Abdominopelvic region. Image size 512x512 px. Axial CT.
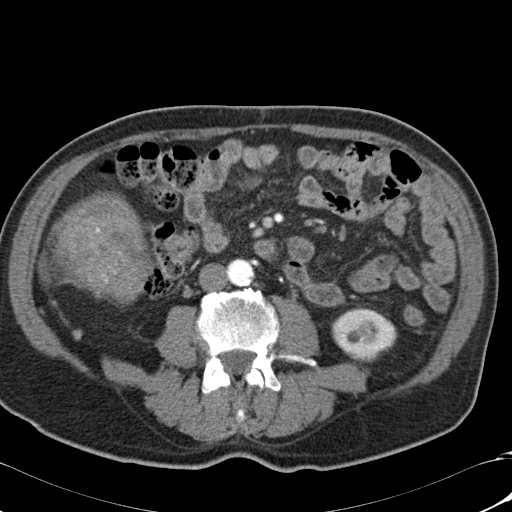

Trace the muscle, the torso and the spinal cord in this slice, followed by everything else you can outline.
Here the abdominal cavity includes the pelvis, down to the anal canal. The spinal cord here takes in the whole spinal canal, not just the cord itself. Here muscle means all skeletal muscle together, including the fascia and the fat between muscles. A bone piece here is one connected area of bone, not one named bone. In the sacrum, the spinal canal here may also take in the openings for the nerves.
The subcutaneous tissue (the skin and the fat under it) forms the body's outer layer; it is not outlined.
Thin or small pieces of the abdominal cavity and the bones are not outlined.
{"muscle":[{"outer":[[259,123],[299,123],[378,132],[406,143],[437,164],[458,183],[473,210],[483,240],[486,283],[482,305],[469,337],[456,357],[452,360],[449,367],[430,383],[415,387],[411,393],[400,397],[368,401],[361,409],[352,409],[343,412],[335,417],[326,419],[318,425],[305,428],[286,436],[262,436],[253,440],[235,434],[220,440],[217,443],[208,443],[196,440],[174,427],[169,427],[158,422],[154,416],[144,408],[141,398],[135,393],[130,392],[119,394],[110,387],[88,378],[66,361],[59,358],[49,357],[37,351],[30,344],[16,322],[13,313],[8,290],[8,262],[12,240],[20,218],[37,187],[54,169],[73,157],[116,139],[151,130],[205,128],[216,126],[237,127]],"holes":[[[270,128],[393,144],[427,168],[460,278],[426,364],[369,391],[371,368],[353,360],[277,358],[278,391],[232,379],[203,393],[207,346],[200,310],[187,304],[168,310],[153,371],[106,353],[92,368],[70,351],[32,292],[42,233],[70,180],[124,144]],[[239,408],[241,408],[243,410],[243,411],[244,412],[244,415],[245,416],[245,418],[243,420],[242,420],[241,421],[238,421],[236,419],[236,412],[237,411],[237,410]]]},[[270,295],[277,295],[283,298],[294,300],[301,304],[307,310],[317,330],[319,342],[318,355],[314,357],[309,356],[307,357],[297,353],[286,352],[276,353],[273,350],[273,347],[278,339],[280,332],[280,321],[275,306],[272,302],[272,299],[269,297]]],"torso":[[[194,104],[326,105],[374,110],[421,130],[461,164],[474,182],[493,227],[499,284],[477,398],[457,427],[405,451],[326,471],[280,472],[244,457],[201,469],[172,469],[87,453],[40,433],[0,405],[0,230],[18,192],[50,155],[75,137],[134,112]]],"spinal_cord":[[[232,350],[242,350],[243,351],[250,351],[251,352],[254,352],[256,355],[251,361],[250,364],[245,368],[243,373],[239,375],[232,375],[228,372],[227,372],[224,369],[224,365],[222,363],[222,361],[219,357],[219,355],[221,353],[223,352],[228,352]]],"abdominal_cavity":[[[270,128],[393,144],[427,168],[460,278],[426,364],[369,391],[369,366],[314,358],[318,330],[301,303],[250,287],[209,291],[199,309],[173,305],[153,341],[153,371],[106,353],[92,368],[70,351],[32,292],[42,233],[70,180],[124,144]]],"bones":[{"outer":[[250,288],[259,290],[277,314],[279,332],[272,350],[276,354],[313,358],[317,364],[311,366],[275,359],[272,368],[281,384],[278,391],[248,385],[243,379],[238,384],[232,379],[227,387],[203,393],[207,346],[195,328],[201,298],[212,291]],"hole":[[232,350],[242,350],[243,351],[250,351],[251,352],[254,352],[256,355],[251,361],[250,364],[245,368],[243,373],[239,375],[232,375],[228,372],[227,372],[224,369],[224,365],[222,363],[222,361],[219,357],[219,355],[221,353],[223,352],[228,352]]}]}